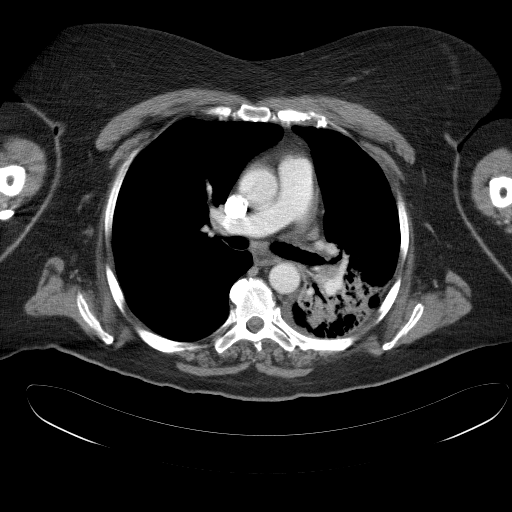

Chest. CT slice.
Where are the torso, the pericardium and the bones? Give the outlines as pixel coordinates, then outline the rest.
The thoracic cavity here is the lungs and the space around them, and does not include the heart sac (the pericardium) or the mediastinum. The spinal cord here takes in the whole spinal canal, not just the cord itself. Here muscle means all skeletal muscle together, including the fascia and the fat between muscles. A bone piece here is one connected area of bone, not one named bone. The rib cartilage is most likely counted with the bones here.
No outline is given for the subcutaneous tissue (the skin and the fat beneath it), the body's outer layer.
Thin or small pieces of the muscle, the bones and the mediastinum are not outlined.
{"torso":[[[85,22],[160,29],[252,60],[396,24],[436,28],[471,43],[498,70],[503,91],[458,146],[452,190],[462,220],[511,278],[511,341],[381,385],[282,401],[189,393],[55,348],[0,359],[0,259],[46,204],[60,163],[54,123],[12,89],[60,32]]],"pericardium":[[[297,143],[300,143],[307,148],[306,151],[310,155],[308,160],[311,165],[318,191],[318,224],[315,230],[308,235],[302,235],[296,231],[284,229],[272,224],[243,206],[234,197],[235,187],[244,171],[250,164],[257,160],[271,156],[282,147],[290,147]]],"bones":[{"outer":[[249,277],[261,278],[267,284],[280,306],[283,319],[297,331],[317,338],[356,335],[357,339],[341,351],[302,350],[298,346],[287,351],[270,338],[263,338],[261,350],[257,351],[251,341],[240,339],[218,353],[207,337],[229,314],[232,285],[240,278]],"hole":[[252,317],[258,317],[259,318],[260,318],[262,320],[262,321],[263,322],[263,324],[262,325],[262,327],[261,328],[260,328],[257,331],[256,331],[255,332],[253,332],[252,331],[251,331],[247,327],[247,322]]},[[243,103],[266,106],[272,111],[286,108],[304,112],[312,110],[324,115],[346,130],[350,136],[329,127],[316,127],[311,124],[304,125],[292,122],[287,125],[270,121],[233,120],[230,117],[221,120],[216,116],[204,114],[201,109],[218,105],[237,108]],[[135,326],[139,326],[145,329],[148,329],[150,331],[170,340],[181,341],[182,342],[197,342],[200,344],[206,344],[207,346],[206,347],[198,348],[194,350],[183,350],[182,351],[176,351],[175,352],[162,352],[149,346],[145,343],[137,334],[135,330]],[[137,147],[140,147],[140,150],[129,165],[117,195],[117,198],[115,202],[115,207],[113,212],[113,219],[111,226],[111,235],[107,241],[105,237],[105,223],[104,219],[105,218],[105,210],[108,196],[112,187],[113,181],[121,164],[128,156],[130,152]],[[10,164],[17,164],[18,165],[23,166],[26,172],[26,175],[25,176],[25,181],[24,182],[24,184],[23,185],[22,189],[18,194],[14,195],[13,196],[9,196],[8,195],[5,195],[3,193],[0,192],[0,167],[2,167],[3,166],[6,166]],[[500,175],[505,175],[506,176],[511,177],[511,204],[510,204],[505,207],[496,207],[494,205],[493,205],[493,204],[491,201],[491,199],[489,196],[489,186],[488,185],[489,180],[492,177],[495,177],[496,176],[499,176]],[[78,292],[80,292],[82,294],[84,299],[87,303],[87,305],[90,311],[97,318],[102,328],[106,332],[113,336],[114,339],[113,340],[113,342],[111,344],[109,344],[108,345],[105,344],[98,337],[96,332],[86,323],[81,316],[76,302],[76,296]],[[397,192],[399,192],[400,193],[404,201],[406,212],[408,216],[408,226],[409,227],[409,242],[408,243],[408,247],[407,248],[407,253],[403,262],[401,261],[401,258],[399,254],[400,253],[400,225],[399,224],[398,210],[397,209],[397,205],[396,204]],[[419,302],[420,302],[424,307],[423,308],[423,312],[419,319],[413,327],[411,328],[406,334],[401,336],[397,340],[394,346],[391,349],[389,350],[383,350],[381,347],[382,346],[382,344],[391,340],[394,337],[396,333],[409,319],[415,305]],[[106,264],[108,264],[113,271],[117,279],[119,286],[122,291],[122,293],[124,296],[124,299],[125,300],[125,306],[124,307],[125,313],[124,314],[123,314],[118,308],[110,291],[110,289],[107,282],[107,279],[106,278],[106,273],[105,272],[105,265]],[[398,276],[400,276],[401,277],[401,282],[400,283],[400,286],[399,287],[397,295],[391,307],[388,310],[388,311],[383,317],[383,318],[378,323],[375,324],[374,323],[374,321],[377,316],[377,309],[380,305],[381,302],[384,299],[392,284],[395,281]]],"muscle":[{"outer":[[191,87],[229,91],[244,96],[252,102],[267,96],[279,95],[320,94],[333,96],[361,104],[391,124],[415,152],[415,159],[412,164],[404,161],[401,157],[393,156],[403,172],[405,180],[401,186],[411,205],[410,212],[414,228],[415,247],[415,268],[413,272],[420,282],[426,285],[426,290],[438,288],[448,269],[461,276],[472,292],[472,308],[470,311],[446,326],[440,327],[410,343],[398,346],[394,351],[388,351],[378,356],[365,353],[353,354],[318,365],[308,374],[292,378],[267,375],[253,366],[232,374],[199,376],[179,370],[169,357],[163,355],[155,357],[145,352],[135,343],[127,343],[115,349],[109,345],[114,342],[114,336],[103,328],[80,291],[75,296],[78,312],[97,337],[90,337],[73,319],[67,316],[46,315],[35,317],[25,313],[24,303],[35,292],[42,269],[48,258],[59,256],[64,260],[67,272],[75,270],[79,276],[94,277],[97,226],[107,184],[114,172],[113,169],[108,167],[108,160],[112,152],[100,151],[94,146],[94,141],[100,130],[112,117],[134,104],[161,93]],"holes":[[[243,103],[324,115],[377,163],[394,200],[399,192],[404,201],[409,242],[391,280],[401,277],[397,295],[378,323],[375,309],[349,334],[357,339],[344,350],[296,346],[287,351],[263,338],[260,351],[240,339],[218,353],[206,336],[195,341],[206,347],[162,352],[141,339],[135,326],[148,328],[126,303],[123,314],[112,296],[105,265],[114,273],[115,264],[104,219],[123,161],[177,120],[205,116],[201,109],[210,106]],[[419,302],[420,302],[424,307],[423,308],[423,312],[419,319],[413,327],[411,328],[406,334],[401,336],[397,340],[394,346],[391,349],[389,350],[383,350],[381,347],[382,346],[382,344],[391,340],[394,337],[396,333],[409,319],[415,305]]]},[[0,135],[17,135],[20,137],[32,140],[39,144],[46,151],[50,166],[50,169],[43,186],[24,205],[25,206],[17,214],[11,217],[6,215],[0,216],[0,193],[9,197],[18,195],[24,187],[27,172],[23,165],[17,163],[10,163],[0,166]],[[502,146],[511,149],[511,176],[505,174],[492,176],[488,180],[487,183],[488,196],[492,205],[496,208],[505,208],[511,205],[511,236],[504,233],[499,227],[492,223],[489,217],[483,215],[478,211],[473,206],[470,198],[470,177],[476,163],[492,150]]],"mediastinum":[{"outer":[[292,123],[292,131],[310,150],[324,207],[326,243],[319,254],[294,250],[294,257],[307,265],[307,275],[297,299],[279,305],[261,277],[241,277],[253,263],[252,254],[229,245],[232,238],[219,233],[216,225],[220,206],[243,168],[282,138],[279,124]],"hole":[[297,143],[300,143],[307,148],[306,151],[310,155],[308,160],[311,165],[318,191],[318,224],[315,230],[308,235],[302,235],[296,231],[284,229],[272,224],[243,206],[234,197],[235,187],[244,171],[250,164],[257,160],[271,156],[282,147],[290,147]]}],"left_arm":[[[501,117],[509,117],[511,118],[511,277],[474,232],[463,220],[463,218],[459,211],[459,208],[453,190],[453,176],[454,175],[454,170],[456,164],[456,159],[458,155],[458,151],[462,145],[463,141],[469,133],[477,126],[480,126],[493,119],[496,119]]],"right_arm":[[[18,99],[29,104],[33,107],[34,109],[39,111],[53,123],[53,125],[58,133],[59,163],[58,164],[58,170],[56,173],[55,178],[53,181],[45,204],[16,244],[0,258],[0,107],[3,103],[7,100],[10,100],[11,101],[12,100],[13,101]]],"thoracic_cavity":[[[189,116],[270,122],[278,124],[283,133],[245,164],[219,206],[218,233],[231,238],[226,243],[229,246],[248,251],[252,258],[250,267],[229,289],[228,314],[207,336],[182,341],[150,330],[127,305],[115,274],[111,236],[118,195],[133,160],[170,125]],[[293,125],[329,128],[351,138],[381,168],[395,201],[399,255],[391,285],[377,308],[349,335],[330,338],[305,334],[282,315],[281,306],[298,299],[308,275],[308,265],[295,257],[298,256],[295,250],[319,255],[327,243],[325,207],[311,150],[293,131]]],"spinal_cord":[[[252,317],[258,317],[259,318],[260,318],[262,320],[262,321],[263,322],[263,324],[262,325],[262,327],[261,328],[260,328],[257,331],[256,331],[255,332],[253,332],[252,331],[251,331],[247,327],[247,322]]]}